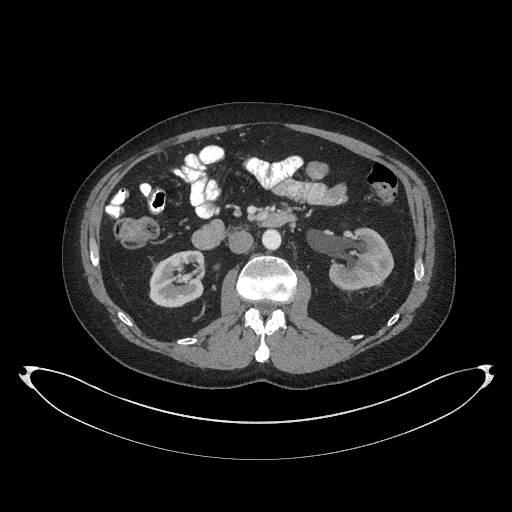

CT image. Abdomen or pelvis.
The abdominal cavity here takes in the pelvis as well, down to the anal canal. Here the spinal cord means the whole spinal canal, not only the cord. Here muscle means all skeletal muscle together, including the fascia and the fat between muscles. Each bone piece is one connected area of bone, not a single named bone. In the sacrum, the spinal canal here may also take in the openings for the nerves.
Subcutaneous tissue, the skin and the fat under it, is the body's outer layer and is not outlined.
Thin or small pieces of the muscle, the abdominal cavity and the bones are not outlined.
{"bones":[{"outer":[[259,362],[264,362],[269,357],[265,336],[279,328],[286,328],[282,306],[292,300],[297,284],[295,272],[287,261],[273,255],[259,255],[248,260],[236,282],[239,295],[250,305],[244,313],[244,326],[251,327],[260,336],[260,343],[255,352],[255,359]],"hole":[[262,316],[270,316],[270,315],[271,314],[272,311],[273,310],[274,310],[277,307],[277,303],[276,302],[273,302],[272,301],[270,301],[269,300],[260,300],[259,301],[254,301],[254,302],[253,303],[253,305],[257,309],[258,309],[259,310],[259,311]]},[[94,266],[99,266],[99,252],[98,251],[98,247],[97,246],[97,245],[96,244],[96,242],[95,241],[95,239],[92,236],[90,236],[90,239],[89,240],[89,247],[90,248],[90,260],[91,261],[91,262],[92,263],[92,264]],[[416,281],[420,281],[422,279],[422,277],[423,276],[423,274],[424,273],[424,267],[423,266],[423,263],[422,262],[422,260],[421,259],[421,258],[418,258],[418,259],[415,262],[415,263],[414,264],[414,279]],[[129,326],[132,326],[132,323],[131,322],[131,321],[129,319],[129,318],[126,315],[126,314],[121,309],[118,309],[118,310],[117,311],[117,315],[118,316],[118,317],[124,323],[125,323],[127,325],[128,325]],[[180,344],[193,344],[194,343],[195,343],[197,341],[197,339],[195,337],[185,337],[184,338],[180,338],[179,339],[178,339],[177,340],[176,340],[176,342],[177,343],[179,343]],[[387,326],[390,326],[391,325],[392,325],[398,319],[398,318],[399,317],[399,313],[398,312],[395,312],[389,318],[389,319],[387,321],[387,322],[386,323],[386,324],[387,325]]],"torso":[[[293,390],[339,384],[393,367],[417,354],[440,329],[451,309],[456,280],[454,235],[440,188],[427,168],[396,140],[361,120],[322,108],[232,101],[191,109],[151,125],[106,156],[70,203],[61,267],[76,318],[116,361],[156,379],[202,389],[263,381]]],"abdominal_cavity":[[[166,341],[190,336],[218,317],[226,272],[237,265],[240,270],[259,254],[283,257],[306,274],[311,317],[346,337],[374,333],[405,299],[413,279],[415,237],[402,182],[377,161],[279,125],[192,139],[134,165],[105,203],[100,263],[112,299],[147,335]]],"spinal_cord":[[[262,316],[270,316],[270,315],[271,314],[272,311],[273,310],[274,310],[277,307],[277,303],[276,302],[273,302],[272,301],[270,301],[269,300],[260,300],[259,301],[254,301],[254,302],[253,303],[253,305],[257,309],[258,309],[259,310],[259,311]]],"muscle":[{"outer":[[289,373],[306,373],[307,372],[316,371],[331,366],[340,361],[346,360],[370,347],[389,339],[399,333],[411,323],[415,315],[415,310],[424,301],[427,296],[427,293],[429,289],[429,282],[432,274],[432,268],[435,256],[435,244],[434,243],[435,242],[434,240],[435,221],[433,217],[431,200],[428,193],[428,190],[423,180],[418,176],[416,172],[402,162],[391,157],[389,155],[385,154],[371,145],[355,138],[337,132],[332,132],[301,124],[286,123],[278,121],[256,121],[255,122],[237,123],[229,125],[206,127],[188,131],[170,137],[144,149],[139,154],[134,155],[116,165],[106,173],[92,189],[85,204],[83,218],[80,225],[80,247],[81,248],[82,264],[85,271],[85,275],[87,277],[87,281],[89,287],[96,299],[108,311],[109,317],[117,330],[129,341],[133,342],[139,346],[152,351],[159,352],[162,354],[167,355],[176,360],[191,366],[195,366],[201,368],[219,369],[220,370],[231,370],[232,369],[243,368],[252,363],[258,363],[261,365],[266,363],[267,364],[271,364],[279,370]],"hole":[[259,362],[269,357],[265,336],[286,328],[282,306],[293,298],[295,268],[312,286],[308,314],[354,340],[392,325],[412,280],[424,273],[421,258],[413,258],[405,190],[393,172],[279,125],[192,139],[140,161],[105,203],[100,245],[89,240],[90,260],[101,264],[118,317],[132,326],[127,313],[147,335],[180,344],[195,343],[190,336],[219,316],[221,282],[237,265],[236,289],[250,305],[244,326],[260,336]]}]}